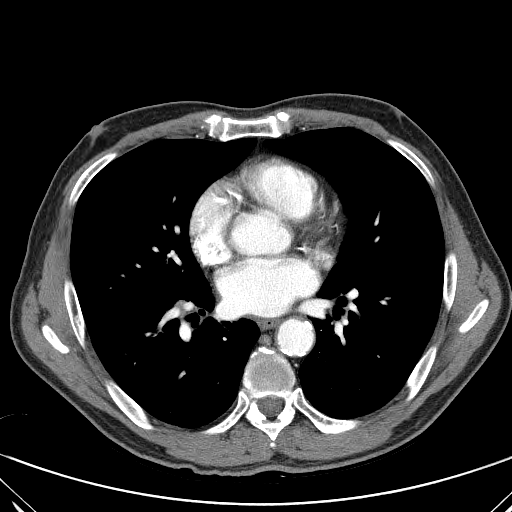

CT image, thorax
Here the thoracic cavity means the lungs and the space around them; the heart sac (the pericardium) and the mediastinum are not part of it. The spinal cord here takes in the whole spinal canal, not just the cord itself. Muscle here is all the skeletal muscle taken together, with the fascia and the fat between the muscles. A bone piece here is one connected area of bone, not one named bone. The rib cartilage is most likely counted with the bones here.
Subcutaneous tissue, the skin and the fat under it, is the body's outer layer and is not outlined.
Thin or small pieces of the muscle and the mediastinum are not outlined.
The thoracic cavity appears in 2 outlined pieces: piece 1: (196, 134) (221, 142) (255, 138) (249, 153) (199, 196) (189, 218) (188, 235) (191, 251) (214, 299) (228, 313) (253, 321) (259, 336) (244, 366) (234, 405) (217, 422) (192, 429) (149, 415) (108, 373) (86, 331) (71, 278) (69, 254) (76, 204) (96, 174) (145, 142); piece 2: (332, 126) (353, 127) (370, 134) (419, 171) (435, 200) (445, 249) (441, 305) (424, 351) (395, 396) (355, 418) (336, 418) (320, 411) (297, 381) (300, 365) (317, 340) (310, 308) (337, 261) (347, 216) (337, 192) (323, 175) (264, 144) (267, 139) (285, 138) (306, 128). The muscle is outlined by (282, 107) (368, 117) (416, 147) (440, 176) (478, 261) (482, 258) (496, 275) (502, 304) (485, 340) (462, 371) (400, 423) (382, 444) (330, 459) (298, 459) (277, 452) (268, 460) (252, 463) (202, 465) (167, 453) (70, 390) (28, 348) (20, 326) (21, 302) (29, 285) (41, 277) (63, 190) (85, 162) (129, 132) (190, 112) (223, 111) (235, 117) (214, 112) (203, 116) (198, 127) (206, 131) (204, 135) (157, 137) (120, 155) (116, 150) (107, 151) (83, 170) (70, 191) (67, 204) (75, 206) (68, 254) (70, 277) (63, 280) (63, 298) (78, 344) (86, 348) (87, 334) (110, 376) (103, 385) (112, 401) (144, 430) (156, 429) (150, 416) (185, 429) (206, 427) (202, 434) (217, 435) (243, 418) (267, 435) (273, 449) (280, 431) (298, 413) (320, 432) (340, 434) (357, 428) (362, 422) (357, 418) (381, 408) (402, 389) (408, 403) (421, 389) (435, 361) (438, 345) (427, 346) (442, 303) (447, 312) (452, 307) (458, 278) (457, 256) (452, 250) (446, 253) (431, 189) (435, 187) (434, 177) (410, 148) (392, 137) (385, 142) (347, 125) (293, 128) (292, 115) (286, 110) (245, 118) with holes at (484, 298) (487, 298) (489, 300) (489, 302) (488, 303) (487, 308) (484, 312) (483, 315) (472, 327) (471, 327) (465, 333) (463, 334) (461, 334) (458, 331) (458, 328) (459, 326) (467, 318) (470, 312) (473, 309) (475, 305) (479, 301) (480, 301) and at (43, 324) (46, 324) (48, 325) (54, 331) (54, 332) (56, 334) (58, 338) (61, 341) (61, 342) (66, 345) (69, 348) (69, 352) (68, 353) (66, 354) (61, 353) (58, 350) (55, 349) (47, 341) (47, 340) (44, 337) (42, 333) (42, 331) (41, 330) (41, 326). The pericardium is outlined by (258, 154) (277, 154) (283, 156) (305, 166) (321, 176) (337, 194) (345, 216) (343, 237) (337, 251) (335, 263) (315, 295) (299, 307) (276, 317) (240, 315) (234, 313) (225, 305) (220, 303) (192, 251) (189, 235) (190, 218) (200, 196) (211, 184) (233, 171) (244, 159). The spinal cord is outlined by (267, 396) (274, 396) (282, 400) (282, 408) (281, 410) (274, 417) (272, 418) (269, 418) (267, 417) (266, 415) (264, 414) (259, 409) (259, 405) (258, 404) (258, 402) (259, 400). The bones appear in 10 outlined pieces: piece 1: (260, 346) (275, 350) (287, 360) (305, 398) (317, 410) (336, 419) (356, 418) (361, 421) (360, 424) (344, 432) (324, 433) (298, 412) (293, 420) (279, 431) (273, 448) (269, 445) (268, 435) (243, 417) (222, 433) (202, 433) (202, 430) (221, 420) (235, 405) (250, 354); inner edge: (267, 396) (274, 396) (282, 400) (282, 408) (281, 410) (274, 417) (272, 418) (269, 418) (267, 417) (266, 415) (264, 414) (259, 409) (259, 405) (258, 404) (258, 402) (259, 400); piece 2: (278, 111) (289, 112) (291, 115) (293, 125) (289, 133) (283, 134) (278, 137) (245, 136) (226, 141) (221, 141) (218, 139) (209, 137) (207, 135) (207, 131) (199, 127) (203, 117) (214, 113) (223, 117) (230, 117) (237, 119) (256, 119) (263, 118) (269, 115) (274, 115); piece 3: (108, 378) (111, 378) (123, 390) (123, 391) (125, 392) (126, 394) (127, 394) (133, 400) (134, 400) (146, 412) (146, 413) (149, 416) (149, 418) (152, 424) (155, 427) (155, 429) (144, 429) (138, 426) (117, 406) (108, 393) (104, 385) (104, 381) (105, 379) (107, 379); piece 4: (433, 344) (436, 344) (437, 345) (437, 351) (436, 352) (436, 355) (435, 356) (434, 361) (430, 368) (430, 370) (418, 392) (408, 402) (406, 402) (405, 401) (405, 398) (407, 395) (407, 390) (405, 388) (403, 388) (405, 385) (405, 383) (425, 350) (429, 346); piece 5: (66, 278) (70, 278) (73, 283) (75, 292) (77, 296) (78, 303) (80, 307) (80, 310) (83, 317) (83, 320) (85, 325) (85, 331) (86, 332) (86, 335) (85, 336) (85, 348) (83, 348) (79, 344) (70, 323) (70, 319) (64, 298) (64, 280); piece 6: (109, 151) (116, 151) (118, 155) (115, 158) (106, 164) (97, 173) (95, 174) (95, 175) (88, 182) (86, 186) (83, 189) (76, 203) (72, 206) (69, 206) (68, 204) (68, 200) (69, 199) (71, 191) (77, 179) (86, 168) (87, 168) (97, 159); piece 7: (449, 251) (454, 252) (456, 256) (456, 261) (457, 262) (457, 278) (456, 279) (455, 293) (453, 298) (453, 302) (449, 311) (447, 311) (445, 309) (445, 307) (442, 302) (442, 297) (443, 296) (443, 285) (444, 284) (444, 264) (445, 263) (445, 257) (446, 256) (446, 254); piece 8: (388, 138) (392, 138) (393, 139) (395, 139) (405, 145) (425, 164) (425, 165) (430, 171) (433, 177) (433, 179) (434, 180) (434, 187) (431, 187) (429, 185) (425, 179) (424, 176) (420, 172) (420, 171) (407, 158) (406, 158) (401, 153) (400, 153) (386, 142) (386, 140); piece 9: (484, 298) (487, 298) (489, 300) (489, 302) (488, 303) (487, 308) (484, 312) (483, 315) (472, 327) (471, 327) (465, 333) (463, 334) (461, 334) (458, 331) (458, 328) (459, 326) (467, 318) (470, 312) (473, 309) (475, 305) (479, 301) (480, 301); piece 10: (43, 324) (46, 324) (48, 325) (54, 331) (54, 332) (56, 334) (58, 338) (61, 341) (61, 342) (66, 345) (69, 348) (69, 352) (68, 353) (66, 354) (61, 353) (58, 350) (55, 349) (47, 341) (47, 340) (44, 337) (42, 333) (42, 331) (41, 330) (41, 326). The torso is outlined by (323, 92) (363, 95) (397, 106) (447, 157) (511, 284) (511, 315) (501, 337) (425, 430) (394, 451) (363, 463) (311, 473) (269, 470) (237, 477) (202, 475) (134, 455) (36, 375) (10, 335) (12, 293) (32, 222) (55, 171) (94, 124) (134, 108) (179, 100) (255, 107). The mediastinum appears in 2 outlined pieces: piece 1: (312, 298) (309, 308) (309, 318) (315, 329) (316, 340) (313, 349) (299, 365) (297, 377) (288, 360) (275, 349) (260, 345) (252, 351) (260, 336) (260, 330) (257, 324) (251, 319) (239, 318) (228, 312) (222, 306) (225, 306) (234, 314) (240, 316) (276, 318) (299, 308); piece 2: (254, 137) (269, 137) (269, 138) (267, 138) (263, 142) (263, 144) (266, 147) (267, 147) (270, 150) (271, 150) (275, 153) (258, 153) (257, 154) (253, 154) (252, 155) (249, 155) (247, 157) (246, 157) (250, 153) (250, 152) (256, 145) (256, 138) (255, 137).